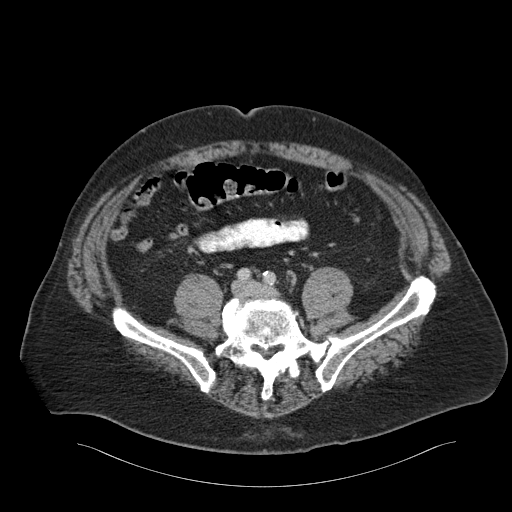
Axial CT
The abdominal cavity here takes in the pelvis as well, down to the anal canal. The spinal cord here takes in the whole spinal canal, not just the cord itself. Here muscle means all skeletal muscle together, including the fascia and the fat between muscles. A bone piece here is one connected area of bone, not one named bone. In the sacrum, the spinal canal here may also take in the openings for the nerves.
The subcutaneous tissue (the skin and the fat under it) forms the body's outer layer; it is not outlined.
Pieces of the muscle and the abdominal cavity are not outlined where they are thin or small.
{"muscle":[{"outer":[[237,139],[316,146],[396,180],[427,208],[451,261],[441,293],[431,309],[437,286],[420,273],[411,279],[395,305],[369,326],[344,337],[328,333],[323,340],[314,341],[308,337],[310,323],[302,304],[302,290],[317,269],[330,266],[347,274],[353,287],[347,311],[356,317],[369,318],[405,283],[400,270],[400,233],[387,204],[367,183],[352,174],[248,151],[145,173],[114,214],[105,239],[107,266],[123,303],[145,322],[197,343],[197,337],[168,320],[179,316],[173,299],[186,275],[197,273],[212,278],[223,296],[220,317],[225,336],[224,340],[220,336],[214,341],[213,354],[229,359],[238,368],[256,370],[262,378],[259,395],[263,401],[272,396],[280,374],[286,372],[293,379],[299,376],[298,359],[306,355],[318,364],[313,373],[320,391],[331,390],[346,363],[360,349],[390,330],[427,315],[415,351],[388,375],[351,391],[329,391],[299,409],[272,418],[255,418],[203,395],[177,392],[173,385],[152,375],[129,356],[120,335],[84,311],[69,292],[66,281],[72,239],[88,209],[109,188],[178,152]],"hole":[[115,306],[124,307],[137,320],[159,335],[169,338],[178,343],[201,349],[208,363],[216,372],[216,379],[209,392],[205,393],[201,391],[199,385],[185,365],[171,354],[147,344],[140,343],[120,333],[114,327],[112,322],[111,311],[112,308]]}],"abdominal_cavity":[[[247,152],[352,175],[386,204],[404,283],[377,311],[350,314],[354,287],[330,265],[302,286],[307,337],[286,300],[233,296],[223,305],[219,284],[204,273],[179,282],[172,299],[178,316],[167,320],[197,342],[124,303],[105,248],[129,192],[147,173]]],"spinal_cord":[[[254,344],[256,344],[258,345],[262,349],[264,350],[267,350],[269,348],[272,348],[274,346],[277,346],[278,345],[282,345],[283,346],[283,349],[282,350],[277,350],[270,357],[268,358],[265,358],[263,357],[263,356],[260,352],[252,348],[252,346]]],"bones":[{"outer":[[420,274],[436,286],[427,314],[360,348],[325,392],[314,373],[319,364],[307,354],[297,359],[297,377],[285,371],[275,378],[267,400],[256,369],[214,354],[226,339],[221,312],[233,297],[286,301],[298,312],[301,332],[321,342],[381,319]],"hole":[[254,344],[256,344],[258,345],[262,349],[264,350],[267,350],[269,348],[272,348],[274,346],[277,346],[278,345],[282,345],[283,346],[283,349],[282,350],[277,350],[270,357],[268,358],[265,358],[263,357],[263,356],[260,352],[252,348],[252,346]]},[[115,306],[124,307],[137,320],[159,335],[169,338],[178,343],[201,349],[208,363],[216,372],[216,379],[209,392],[205,393],[201,391],[199,385],[185,365],[171,354],[147,344],[140,343],[120,333],[114,327],[112,322],[111,311],[112,308]]],"torso":[[[210,104],[227,104],[244,112],[270,104],[314,109],[375,137],[414,170],[464,248],[506,336],[507,365],[488,398],[376,437],[277,455],[200,450],[156,440],[93,415],[51,413],[19,350],[31,301],[53,258],[70,208],[101,162],[132,134],[170,114]]]}